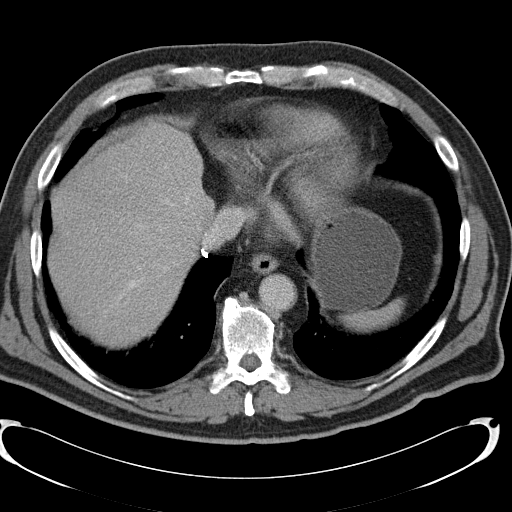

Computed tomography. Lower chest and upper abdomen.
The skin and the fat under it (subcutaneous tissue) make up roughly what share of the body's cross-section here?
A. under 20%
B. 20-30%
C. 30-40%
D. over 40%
A. under 20%
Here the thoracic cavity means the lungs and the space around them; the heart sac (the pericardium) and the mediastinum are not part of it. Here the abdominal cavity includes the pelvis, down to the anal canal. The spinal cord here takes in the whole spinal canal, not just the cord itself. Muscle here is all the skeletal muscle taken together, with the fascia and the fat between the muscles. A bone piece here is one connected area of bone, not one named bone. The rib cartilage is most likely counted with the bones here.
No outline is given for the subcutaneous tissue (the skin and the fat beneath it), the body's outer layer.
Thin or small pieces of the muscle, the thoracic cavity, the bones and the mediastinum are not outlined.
Outlines (x, y in pixels):
spinal cord: 246 354; 254 354; 255 355; 256 355; 256 356; 259 359; 259 361; 260 362; 260 364; 258 366; 257 366; 254 369; 253 369; 252 370; 247 370; 244 367; 243 367; 241 365; 241 359; 243 357; 243 356; 244 355; 245 355
pericardium: 262 96; 323 98; 351 110; 373 128; 375 161; 367 181; 349 204; 322 221; 297 247; 266 250; 254 242; 249 234; 250 228; 257 217; 257 209; 255 205; 237 203; 231 200; 223 176; 210 157; 198 133; 203 122; 218 109; 234 101
abdominal cavity 1: 251 94; 271 95; 231 101; 197 131; 230 200; 254 205; 256 217; 249 233; 199 258; 151 339; 127 353; 106 352; 76 335; 64 317; 46 265; 52 231; 50 202; 45 200; 50 182; 60 180; 124 110; 150 106; 183 110; 220 96
abdominal cavity 2: 375 171; 416 186; 433 198; 443 232; 443 265; 435 290; 419 311; 385 331; 370 335; 351 335; 328 325; 320 316; 318 303; 312 290; 309 287; 306 289; 300 267; 304 265; 304 255; 298 247; 322 222; 349 205; 366 184; 371 173
thoracic cavity 1: 381 103; 401 111; 432 143; 448 171; 461 215; 459 261; 445 306; 399 361; 368 377; 331 379; 286 353; 276 335; 291 334; 305 321; 307 288; 328 326; 370 336; 419 312; 436 290; 444 265; 444 232; 434 198; 376 171; 393 148
thoracic cavity 2: 47 200; 51 231; 45 265; 61 312; 76 336; 106 353; 127 354; 151 340; 170 315; 200 258; 208 254; 229 257; 229 274; 213 296; 220 312; 220 341; 213 354; 180 379; 154 389; 117 384; 90 367; 62 336; 46 301; 41 216
thoracic cavity 3: 149 92; 159 92; 162 96; 159 99; 122 110; 66 173; 57 181; 51 181; 63 154; 68 149; 71 142; 80 130; 83 128; 89 128; 93 131; 97 130; 104 122; 114 117; 117 110; 117 101; 126 97
bones 1: 227 296; 235 297; 241 305; 258 307; 275 323; 274 341; 291 358; 281 359; 274 354; 273 360; 289 372; 289 392; 277 392; 267 380; 251 386; 234 380; 217 393; 209 391; 208 376; 226 363; 222 353; 215 350; 221 345; 220 318 with a hole at 246 354; 254 354; 255 355; 256 355; 256 356; 259 359; 259 361; 260 362; 260 364; 258 366; 257 366; 254 369; 253 369; 252 370; 247 370; 244 367; 243 367; 241 365; 241 359; 243 357; 243 356; 244 355; 245 355
bones 2: 316 64; 345 68; 375 80; 392 92; 402 110; 356 89; 340 86; 312 87; 310 81; 303 79; 295 79; 280 86; 234 82; 207 87; 185 83; 165 74; 167 69; 177 66; 217 66; 227 72; 234 69; 258 70; 265 65; 307 67
bones 3: 443 316; 446 316; 447 320; 440 335; 433 345; 417 362; 388 382; 386 382; 370 391; 365 390; 366 386; 373 383; 379 383; 385 379; 390 374; 389 372; 388 373; 386 373; 386 372; 392 366; 399 362; 416 345; 436 322; 439 317
bones 4: 49 326; 54 328; 61 335; 69 346; 78 356; 90 368; 99 375; 105 384; 114 389; 119 390; 125 394; 134 397; 136 400; 135 401; 128 400; 122 398; 113 393; 111 393; 90 382; 78 373; 63 358; 53 344; 48 333; 48 327
bones 5: 146 75; 151 75; 155 80; 155 86; 152 88; 150 91; 126 96; 121 99; 117 100; 113 103; 111 103; 104 108; 98 109; 96 107; 94 102; 95 99; 106 89; 111 87; 114 84; 119 83; 122 81; 131 79; 135 77; 140 77
bones 6: 59 141; 63 141; 64 143; 64 146; 63 147; 63 150; 62 151; 62 156; 54 171; 54 173; 48 185; 42 190; 39 191; 37 187; 37 178; 38 177; 39 170; 45 158; 47 156; 48 153; 50 151; 52 147; 57 142
bones 7: 435 134; 439 134; 440 135; 442 135; 448 141; 448 142; 450 144; 457 158; 457 161; 458 162; 458 166; 459 167; 458 171; 454 172; 451 170; 449 170; 446 167; 446 166; 442 161; 441 158; 439 156; 432 142; 432 137
bones 8: 35 228; 38 228; 41 232; 41 247; 42 248; 42 254; 41 255; 41 275; 39 277; 37 277; 34 273; 34 271; 32 267; 32 264; 31 263; 31 256; 30 255; 30 239; 31 238; 31 234; 32 233; 32 231; 33 229
bones 9: 463 216; 466 216; 469 221; 469 226; 470 227; 470 241; 469 242; 469 248; 468 249; 468 252; 467 253; 466 258; 463 262; 461 262; 460 261; 460 255; 459 254; 459 233; 460 232; 460 226; 461 225; 461 221; 462 220; 462 217
bones 10: 248 389; 249 389; 252 393; 252 398; 251 399; 251 401; 252 402; 252 405; 254 408; 254 413; 253 414; 253 415; 252 415; 251 416; 248 416; 247 415; 246 415; 244 412; 244 399; 245 398; 245 393
muscle: 326 60; 362 67; 403 92; 433 119; 467 164; 498 260; 493 306; 478 343; 379 399; 338 415; 293 421; 254 415; 248 388; 245 415; 216 424; 128 411; 0 346; 4 285; 20 230; 24 188; 56 130; 83 99; 123 74; 156 64; 206 61; 231 68; 281 65; 227 71; 217 65; 169 67; 166 76; 195 88; 151 91; 156 86; 151 74; 114 83; 94 99; 101 110; 67 149; 63 153; 65 143; 59 140; 44 158; 36 187; 47 190; 40 229; 30 234; 29 255; 58 327; 59 332; 47 327; 56 350; 84 379; 133 402; 134 396; 100 376; 129 389; 154 390; 185 377; 214 353; 221 353; 225 363; 207 376; 211 394; 234 381; 247 387; 267 381; 277 393; 289 393; 290 372; 277 365; 274 355; 338 381; 387 370; 381 381; 364 387; 366 392; 417 363; 447 323; 448 317; 440 315; 452 295; 458 264; 470 248; 470 221; 461 214; 449 173; 459 171; 458 158; 442 134; 426 138; 403 114; 393 92; 375 79; 322 63; 287 65
torso: 306 39; 353 44; 395 63; 439 98; 479 146; 511 222; 511 282; 499 325; 504 350; 499 373; 487 381; 425 398; 411 409; 369 426; 316 439; 245 445; 193 442; 126 429; 1 380; 0 199; 21 147; 52 105; 88 70; 133 50
mediastinum 1: 242 234; 248 234; 258 247; 266 251; 297 248; 295 259; 305 283; 307 311; 304 321; 291 333; 277 331; 276 323; 265 311; 251 303; 241 304; 232 295; 227 295; 223 299; 218 313; 214 296; 220 284; 230 274; 232 259; 216 254
mediastinum 2: 234 83; 293 89; 340 87; 359 91; 380 102; 379 111; 387 125; 392 148; 372 172; 376 161; 374 128; 351 109; 323 97; 251 93; 220 95; 183 109; 159 105; 136 107; 159 100; 162 94; 153 91; 195 89; 202 86; 214 88
mediastinum 3: 114 103; 115 103; 115 107; 116 108; 116 110; 113 117; 104 121; 99 126; 99 127; 95 130; 93 130; 89 127; 84 127; 86 123; 89 120; 93 118; 94 116; 95 116; 100 111; 101 111; 102 109; 104 109; 106 107